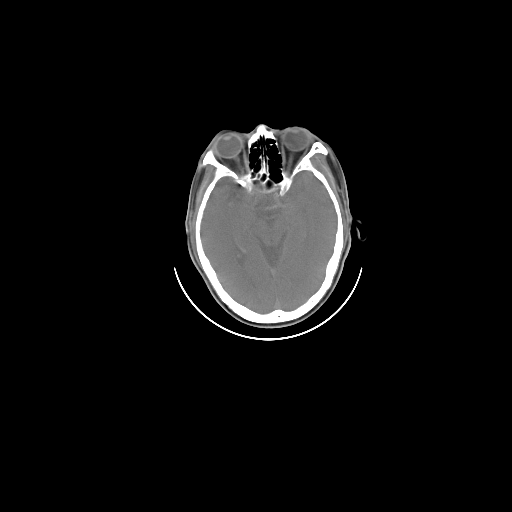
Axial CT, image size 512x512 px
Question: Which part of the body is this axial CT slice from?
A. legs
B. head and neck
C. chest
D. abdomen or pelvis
Answer: B. head and neck
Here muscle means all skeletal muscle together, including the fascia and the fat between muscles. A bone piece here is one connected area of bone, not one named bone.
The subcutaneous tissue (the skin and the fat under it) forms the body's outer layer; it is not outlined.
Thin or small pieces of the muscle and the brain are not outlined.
The head is outlined by (258, 124) (272, 128) (301, 125) (330, 144) (344, 172) (350, 211) (362, 223) (360, 234) (366, 235) (360, 240) (351, 228) (349, 251) (331, 295) (312, 315) (283, 327) (255, 327) (229, 315) (212, 297) (195, 268) (185, 234) (190, 184) (200, 154) (220, 130) (249, 132), around holes outlined by (272, 146) (275, 146) (277, 148) (277, 153) (281, 158) (281, 160) (280, 161) (280, 165) (279, 166) (279, 173) (281, 177) (280, 179) (276, 179) (276, 178) (274, 177) (273, 175) (272, 175) (273, 174) (269, 164) (269, 161) (271, 159) (268, 155) (268, 151) and by (252, 148) (254, 148) (256, 150) (258, 150) (259, 151) (259, 154) (257, 157) (257, 163) (258, 164) (258, 167) (257, 168) (257, 162) (256, 161) (254, 165) (252, 166) (249, 160) (249, 156) (250, 155) (250, 153) (251, 152) (251, 149). The bones are outlined by (258, 124) (265, 124) (274, 131) (283, 165) (289, 171) (313, 142) (320, 141) (328, 149) (326, 155) (316, 153) (310, 160) (324, 175) (334, 193) (343, 224) (342, 253) (333, 280) (324, 295) (299, 317) (275, 323) (248, 320) (221, 300) (201, 267) (195, 242) (197, 212) (215, 170) (211, 164) (200, 165) (206, 152) (211, 149) (218, 161) (239, 174) (245, 171) (248, 159) (252, 167) (256, 162) (257, 169) (260, 151) (252, 147) (249, 155) (247, 140), around holes outlined by (302, 171) (312, 173) (332, 203) (336, 216) (332, 252) (319, 286) (302, 303) (292, 309) (259, 312) (235, 299) (220, 280) (203, 246) (201, 225) (204, 211) (216, 184) (224, 177) (231, 178) (249, 193) (259, 186) (260, 192) (277, 191) (282, 197) (290, 189) (294, 177) and by (272, 146) (275, 146) (277, 148) (277, 153) (281, 158) (281, 160) (280, 161) (280, 165) (279, 166) (279, 173) (281, 177) (280, 179) (276, 179) (276, 178) (274, 177) (273, 175) (272, 175) (273, 174) (269, 164) (269, 161) (271, 159) (268, 155) (268, 151). The muscle appears in 2 outlined pieces: piece 1: (329, 151) (331, 157) (335, 162) (337, 170) (337, 176) (338, 177) (338, 185) (343, 191) (342, 204) (346, 217) (346, 241) (344, 247) (344, 224) (339, 202) (327, 178) (313, 164) (311, 160) (311, 158) (314, 155) (321, 154) (326, 156) (329, 153); piece 2: (207, 165) (211, 165) (214, 167) (213, 176) (203, 192) (194, 221) (194, 242) (195, 243) (195, 249) (198, 261) (193, 249) (193, 243) (190, 231) (190, 220) (191, 219) (192, 210) (194, 207) (194, 201) (196, 196) (196, 192) (203, 175) (202, 167). The brain is outlined by (302, 171) (312, 173) (332, 203) (336, 216) (332, 252) (319, 286) (302, 303) (292, 309) (259, 312) (235, 299) (220, 280) (203, 246) (201, 225) (204, 211) (216, 184) (224, 177) (231, 178) (249, 193) (259, 186) (260, 192) (277, 191) (282, 197) (290, 189) (294, 177).